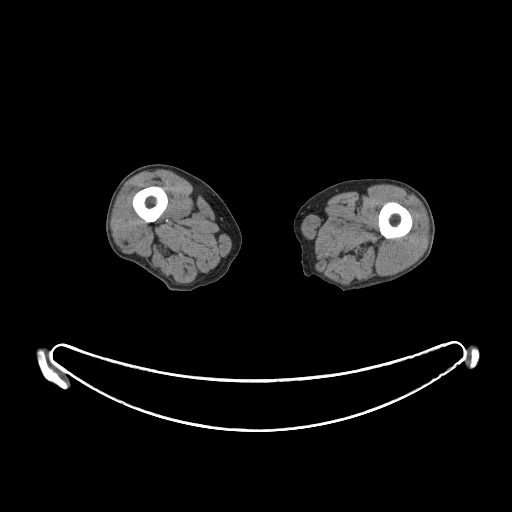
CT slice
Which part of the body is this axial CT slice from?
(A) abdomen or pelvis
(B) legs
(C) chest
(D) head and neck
Answer: (B) legs
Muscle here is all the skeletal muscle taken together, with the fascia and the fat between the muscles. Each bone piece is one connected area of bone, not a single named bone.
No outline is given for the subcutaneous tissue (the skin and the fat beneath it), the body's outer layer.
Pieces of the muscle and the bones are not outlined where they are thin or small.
Outlines (x, y in pixels):
bones 1: [[389,201],[395,201],[405,207],[408,210],[412,217],[412,225],[411,226],[410,230],[408,232],[408,233],[401,237],[398,237],[397,238],[385,238],[380,233],[380,231],[379,230],[379,226],[378,225],[378,215],[383,205],[386,202],[388,202]]
bones 2: [[154,185],[155,186],[160,186],[161,188],[166,193],[167,195],[167,205],[164,211],[155,221],[153,222],[146,222],[135,212],[132,206],[132,199],[135,193],[139,190],[143,188],[145,188],[149,186],[153,186]]
bones 3: [[40,348],[46,354],[51,350],[52,352],[51,353],[52,359],[63,370],[61,372],[60,370],[58,372],[60,376],[64,379],[67,379],[69,382],[69,386],[67,388],[63,388],[52,381],[46,379],[44,377],[38,365],[37,357],[36,356],[36,351]]
bones 4: [[473,347],[476,347],[478,349],[478,350],[479,351],[479,357],[478,358],[478,360],[477,361],[477,363],[473,367],[472,367],[471,368],[469,366],[469,363],[470,362],[470,351],[471,350],[471,349]]
left arm: [[472,343],[474,344],[476,344],[477,345],[478,347],[478,350],[479,351],[479,357],[478,358],[477,363],[470,369],[467,369],[465,365],[465,361],[464,360],[464,355],[465,354],[465,351],[466,350],[466,348],[468,346],[468,345]]
muscle 1: [[370,183],[390,183],[402,185],[411,190],[417,196],[423,204],[429,219],[429,238],[427,248],[423,255],[414,264],[395,275],[374,277],[369,280],[356,282],[350,286],[323,278],[312,268],[309,248],[300,232],[301,220],[317,203],[330,195],[341,190]], around a hole outlined by [[389,201],[395,201],[405,207],[408,210],[412,217],[412,225],[411,226],[410,230],[408,232],[408,233],[401,237],[398,237],[397,238],[385,238],[380,233],[380,231],[379,230],[379,226],[378,225],[378,215],[383,205],[386,202],[388,202]]
muscle 2: [[157,168],[170,169],[203,190],[214,205],[225,216],[228,222],[232,238],[232,245],[229,257],[219,268],[189,284],[178,285],[152,267],[142,257],[137,255],[127,255],[123,253],[115,244],[111,234],[111,212],[115,199],[123,184],[129,178],[139,172]]; inner edge: [[154,185],[155,186],[160,186],[161,188],[166,193],[167,195],[167,205],[164,211],[155,221],[153,222],[146,222],[135,212],[132,206],[132,199],[135,193],[139,190],[143,188],[145,188],[149,186],[153,186]]
right leg: [[154,163],[163,163],[176,166],[203,180],[221,197],[237,222],[242,236],[241,247],[226,273],[218,280],[189,291],[170,290],[160,279],[139,265],[119,257],[114,253],[110,247],[105,231],[105,219],[108,204],[115,188],[122,178],[132,170],[143,165]]
right arm: [[43,346],[46,346],[50,351],[51,350],[52,352],[51,353],[52,359],[63,370],[61,371],[61,373],[65,376],[65,378],[69,382],[69,386],[67,388],[63,388],[52,381],[46,379],[44,377],[38,365],[37,357],[36,356],[37,348]]
left leg: [[362,178],[400,180],[409,184],[424,196],[431,209],[435,225],[433,244],[429,255],[420,265],[405,275],[389,282],[365,288],[343,291],[317,276],[308,277],[302,273],[300,280],[301,248],[293,230],[293,220],[297,211],[306,200],[326,187],[345,180]]